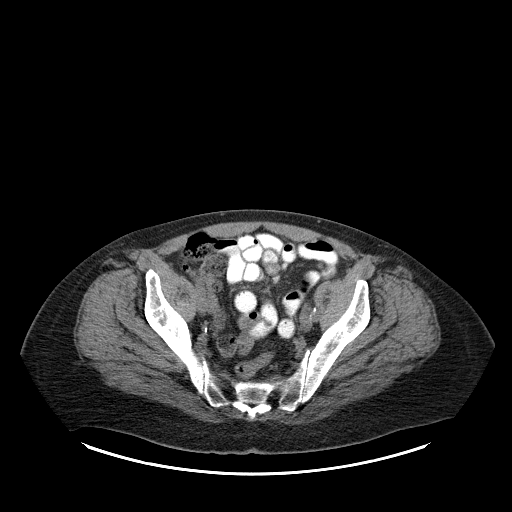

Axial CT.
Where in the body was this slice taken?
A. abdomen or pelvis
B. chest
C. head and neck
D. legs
Answer: A. abdomen or pelvis
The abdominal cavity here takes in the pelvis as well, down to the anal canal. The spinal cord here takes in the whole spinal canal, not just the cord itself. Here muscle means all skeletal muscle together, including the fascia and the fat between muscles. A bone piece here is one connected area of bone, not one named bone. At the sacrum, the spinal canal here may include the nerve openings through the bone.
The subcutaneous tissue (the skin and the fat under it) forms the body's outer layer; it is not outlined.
{"torso":[[[242,208],[301,212],[358,228],[401,248],[456,289],[483,320],[494,340],[494,346],[477,382],[453,417],[399,430],[359,444],[286,454],[198,453],[165,447],[103,428],[69,430],[41,393],[20,354],[25,334],[50,291],[78,263],[126,233],[194,214]]],"bones":[{"outer":[[150,268],[159,276],[164,297],[187,323],[192,346],[209,365],[234,381],[269,382],[289,376],[306,350],[346,310],[358,279],[368,283],[370,318],[307,401],[291,412],[273,407],[250,419],[231,405],[210,405],[193,385],[185,365],[146,320],[144,277]],"holes":[[[271,395],[272,395],[273,395],[274,395],[275,396],[276,397],[276,398],[276,399],[276,400],[276,401],[276,402],[275,403],[274,403],[273,403],[272,403],[271,403],[270,403],[269,402],[269,401],[269,400],[269,399],[269,398],[270,397],[270,396]],[[229,392],[230,392],[231,392],[232,392],[233,393],[234,393],[234,394],[234,395],[234,396],[234,397],[233,398],[233,399],[232,399],[231,399],[230,399],[229,399],[228,399],[227,398],[227,397],[227,396],[227,395],[227,394],[227,393],[228,393]]]}],"spinal_cord":[[[271,395],[272,395],[273,395],[274,395],[275,396],[276,397],[276,398],[276,399],[276,400],[276,401],[276,402],[275,403],[274,403],[273,403],[272,403],[271,403],[270,403],[269,402],[269,401],[269,400],[269,399],[269,398],[270,397],[270,396]],[[229,392],[230,392],[231,392],[232,392],[233,393],[234,393],[234,394],[234,395],[234,396],[234,397],[233,398],[233,399],[232,399],[231,399],[230,399],[229,399],[228,399],[227,398],[227,397],[227,396],[227,395],[227,394],[227,393],[228,393]],[[246,403],[247,403],[248,403],[249,403],[250,403],[251,403],[252,403],[253,403],[254,404],[255,404],[256,404],[255,405],[254,405],[253,406],[252,406],[251,406],[250,405],[249,405],[248,404],[247,404]]],"abdominal_cavity":[[[260,227],[298,241],[324,239],[354,262],[342,277],[323,281],[315,289],[313,299],[322,333],[313,347],[305,350],[289,375],[269,381],[234,380],[209,364],[193,346],[188,323],[196,312],[196,289],[164,257],[179,248],[185,237],[196,230],[225,237]]],"muscle":[{"outer":[[254,220],[308,228],[342,240],[363,253],[382,255],[398,262],[411,272],[434,305],[441,334],[437,349],[383,390],[306,424],[236,418],[204,421],[175,407],[126,393],[101,381],[79,354],[73,334],[80,302],[101,263],[121,249],[150,248],[196,228]],"hole":[[260,227],[298,241],[324,239],[354,261],[315,289],[322,332],[346,310],[358,279],[368,283],[370,318],[307,401],[250,419],[231,405],[210,405],[197,391],[145,318],[144,277],[156,272],[164,297],[189,323],[196,289],[164,257],[196,230],[225,237]]}]}